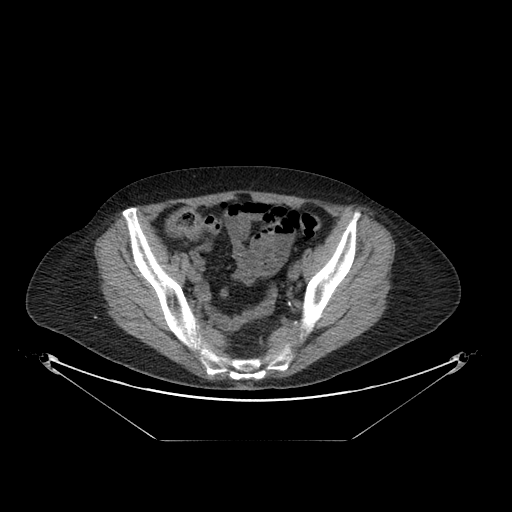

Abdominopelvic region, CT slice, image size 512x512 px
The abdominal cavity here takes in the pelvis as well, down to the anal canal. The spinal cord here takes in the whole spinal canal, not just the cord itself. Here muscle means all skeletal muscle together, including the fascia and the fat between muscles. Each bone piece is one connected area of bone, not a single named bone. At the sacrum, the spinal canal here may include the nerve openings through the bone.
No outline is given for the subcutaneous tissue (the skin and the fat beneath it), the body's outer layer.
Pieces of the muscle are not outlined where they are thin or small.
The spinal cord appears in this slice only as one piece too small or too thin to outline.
Outlines (x, y in pixels):
bones 1: (132, 206) (137, 209) (139, 225) (157, 262) (181, 286) (202, 341) (217, 355) (230, 358) (261, 358) (289, 343) (293, 358) (285, 370) (268, 369) (261, 379) (237, 380) (226, 371) (212, 375) (206, 372) (198, 352) (190, 350) (170, 330) (154, 288) (134, 262) (122, 215)
bones 2: (355, 210) (358, 210) (361, 214) (356, 223) (355, 255) (351, 267) (347, 274) (335, 288) (324, 307) (321, 313) (321, 316) (315, 323) (312, 330) (302, 340) (300, 338) (300, 333) (302, 330) (300, 319) (302, 316) (304, 293) (307, 283) (311, 277) (332, 256)
torso: (216, 165) (270, 165) (314, 172) (351, 185) (391, 208) (425, 233) (454, 265) (462, 288) (457, 309) (428, 334) (325, 381) (251, 391) (203, 389) (160, 380) (107, 360) (37, 325) (26, 312) (25, 294) (36, 266) (52, 245) (84, 226) (108, 197) (133, 181) (175, 169)
muscle 1: (244, 189) (364, 205) (385, 224) (396, 243) (390, 299) (383, 316) (348, 343) (285, 377) (263, 378) (268, 370) (283, 372) (289, 367) (294, 358) (289, 342) (258, 356) (279, 326) (299, 319) (302, 341) (313, 330) (352, 267) (362, 213) (353, 211) (331, 256) (307, 282) (301, 269) (304, 253) (323, 241) (335, 222) (321, 206) (265, 203) (243, 195) (211, 206) (172, 204) (154, 218) (153, 227) (166, 249) (179, 255) (181, 285) (158, 262) (134, 206)
muscle 2: (120, 210) (122, 210) (121, 215) (128, 231) (133, 262) (140, 274) (153, 288) (169, 330) (190, 351) (197, 352) (197, 357) (208, 375) (212, 376) (226, 372) (233, 380) (208, 380) (192, 373) (125, 332) (107, 313) (98, 282) (93, 248) (95, 240) (107, 221)
muscle 3: (196, 316) (198, 318) (204, 321) (211, 327) (218, 331) (227, 340) (227, 343) (228, 344) (229, 349) (233, 357) (217, 354) (205, 341) (203, 341) (202, 339) (202, 336) (199, 333) (200, 325) (197, 321) (198, 320)
abdominal cavity: (240, 196) (291, 207) (311, 203) (325, 210) (334, 221) (323, 240) (309, 247) (301, 258) (300, 269) (306, 285) (300, 318) (273, 330) (255, 357) (234, 357) (228, 340) (194, 314) (182, 288) (185, 275) (180, 255) (167, 249) (154, 227) (155, 218) (172, 205) (211, 207)